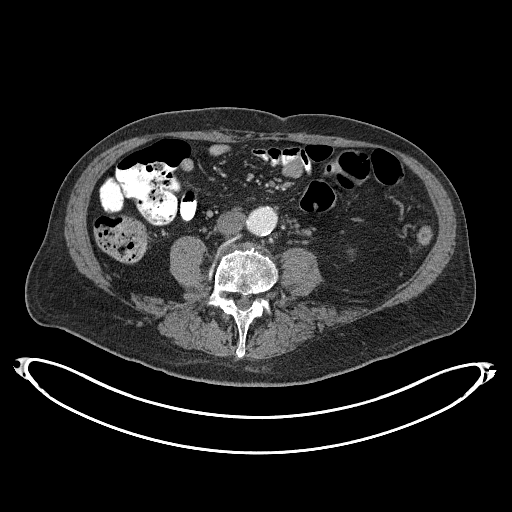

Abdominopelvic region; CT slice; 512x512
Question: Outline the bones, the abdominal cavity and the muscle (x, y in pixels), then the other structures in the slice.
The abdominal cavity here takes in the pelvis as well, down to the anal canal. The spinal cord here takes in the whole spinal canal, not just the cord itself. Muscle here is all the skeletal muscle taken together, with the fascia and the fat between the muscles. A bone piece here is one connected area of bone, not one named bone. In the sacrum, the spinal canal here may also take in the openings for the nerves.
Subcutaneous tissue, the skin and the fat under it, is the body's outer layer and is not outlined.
Answer: Outlines (x, y in pixels):
bones: (241, 358) (245, 354) (246, 334) (253, 319) (261, 316) (264, 310) (270, 312) (270, 302) (265, 293) (278, 279) (276, 257) (266, 248) (253, 243) (230, 244) (220, 250) (212, 276) (212, 291) (206, 302) (207, 305) (218, 307) (233, 318) (238, 329) (238, 343) (235, 354) with a hole at (240, 309) (245, 309) (246, 308) (247, 308) (251, 304) (251, 300) (247, 296) (240, 296) (235, 301) (235, 303) (236, 304) (236, 305)
abdominal cavity: (371, 307) (413, 274) (439, 235) (422, 180) (383, 148) (162, 136) (121, 155) (94, 186) (89, 240) (100, 267) (125, 291) (183, 301) (169, 248) (195, 235) (208, 250) (202, 270) (209, 279) (226, 244) (253, 242) (275, 255) (299, 246) (316, 254) (324, 279) (308, 297)
muscle: (253, 360) (290, 355) (336, 327) (416, 297) (435, 281) (454, 253) (457, 223) (452, 201) (433, 173) (415, 158) (376, 143) (305, 132) (237, 129) (136, 136) (106, 149) (87, 165) (71, 190) (63, 229) (78, 272) (149, 316) (160, 337) (175, 349) (209, 357) (236, 357) (237, 329) (230, 316) (205, 304) (212, 281) (201, 270) (207, 250) (201, 240) (182, 236) (170, 248) (170, 273) (183, 287) (183, 302) (123, 291) (93, 256) (86, 227) (89, 197) (97, 179) (121, 154) (162, 135) (377, 146) (401, 159) (423, 180) (438, 213) (440, 235) (414, 274) (374, 308) (335, 305) (307, 297) (323, 281) (315, 254) (299, 247) (282, 250) (276, 255) (279, 279) (266, 293) (271, 312) (264, 311) (254, 319) (247, 334) (242, 358)
spinal cord: (240, 309) (245, 309) (246, 308) (247, 308) (251, 304) (251, 300) (247, 296) (240, 296) (235, 301) (235, 303) (236, 304) (236, 305)
torso: (247, 387) (297, 385) (339, 375) (450, 335) (467, 322) (475, 303) (476, 283) (463, 206) (443, 170) (417, 145) (377, 125) (334, 114) (281, 117) (253, 108) (216, 106) (134, 120) (102, 138) (70, 168) (56, 193) (44, 237) (26, 276) (24, 296) (32, 319) (169, 375)